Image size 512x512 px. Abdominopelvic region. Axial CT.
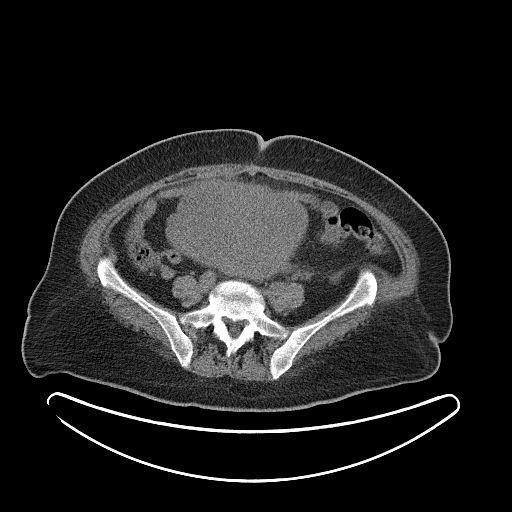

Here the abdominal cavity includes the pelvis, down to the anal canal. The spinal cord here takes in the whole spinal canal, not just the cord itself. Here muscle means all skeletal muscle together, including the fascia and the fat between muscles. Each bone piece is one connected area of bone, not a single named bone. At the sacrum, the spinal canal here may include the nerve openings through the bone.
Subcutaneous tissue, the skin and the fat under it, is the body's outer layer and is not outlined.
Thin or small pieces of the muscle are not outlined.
{"torso":[[[222,128],[249,130],[264,140],[303,136],[336,148],[390,178],[435,221],[449,249],[453,319],[439,345],[440,362],[432,376],[331,403],[258,412],[163,403],[64,372],[30,374],[21,351],[28,302],[45,271],[54,229],[69,199],[91,178],[153,143]]],"muscle":[[[251,162],[310,175],[333,183],[366,200],[392,217],[405,231],[419,258],[415,292],[384,307],[370,318],[367,324],[361,325],[326,352],[321,361],[298,375],[279,379],[293,365],[302,347],[321,328],[337,318],[374,303],[378,281],[370,269],[360,270],[364,264],[375,264],[394,277],[402,270],[400,257],[388,235],[376,219],[354,201],[327,190],[272,178],[258,171],[254,174],[243,172],[233,177],[192,178],[157,189],[136,202],[107,234],[109,242],[117,252],[115,264],[109,256],[100,256],[96,263],[96,275],[103,287],[131,300],[156,321],[179,365],[164,359],[141,343],[134,332],[121,324],[95,300],[78,260],[81,241],[94,217],[132,192],[183,168],[206,164]],[[181,325],[196,330],[211,327],[215,337],[225,345],[224,354],[227,358],[235,354],[243,345],[251,342],[255,333],[275,340],[283,340],[269,358],[268,368],[272,381],[245,381],[228,375],[210,378],[199,376],[185,369],[191,363],[194,349],[191,338]],[[279,281],[294,282],[295,283],[298,283],[300,284],[303,287],[303,294],[304,295],[304,300],[303,301],[303,303],[298,307],[286,313],[276,311],[274,309],[274,307],[269,302],[268,287],[271,284],[275,282],[278,282]],[[184,275],[189,275],[193,277],[195,279],[197,283],[199,284],[199,286],[203,291],[201,299],[194,304],[192,304],[188,306],[184,305],[183,303],[178,298],[175,297],[173,295],[172,291],[171,290],[174,280],[177,277],[179,276],[183,276]],[[342,300],[343,300],[334,309],[333,309],[330,312],[329,312],[320,319],[314,322],[299,326],[293,329],[291,331],[289,331],[289,329],[286,326],[293,326],[294,325],[300,324],[304,322],[306,320],[314,317],[319,313],[328,309],[330,307],[340,302]],[[134,288],[136,288],[138,290],[145,293],[147,295],[151,297],[156,302],[163,305],[165,307],[167,307],[169,309],[175,310],[178,312],[182,312],[183,313],[182,313],[178,317],[178,318],[177,318],[177,317],[171,312],[163,308],[161,308],[147,300]]],"spinal_cord":[[[226,318],[229,318],[233,323],[235,323],[238,321],[242,321],[244,323],[244,325],[240,329],[240,332],[239,333],[239,334],[236,337],[232,337],[230,335],[230,333],[229,332],[229,328],[228,327],[227,327],[225,325],[225,323],[224,322],[224,320]]],"bones":[{"outer":[[103,256],[177,319],[206,306],[226,280],[255,287],[265,314],[289,332],[334,310],[361,270],[374,274],[377,290],[371,305],[321,327],[273,380],[270,358],[284,340],[258,332],[227,357],[211,326],[181,324],[193,349],[183,368],[157,321],[101,284]],"hole":[[226,318],[229,318],[233,323],[235,323],[238,321],[242,321],[244,323],[244,325],[240,329],[240,332],[239,333],[239,334],[236,337],[232,337],[230,335],[230,333],[229,332],[229,328],[228,327],[227,327],[225,325],[225,323],[224,322],[224,320]]}],"abdominal_cavity":[{"outer":[[258,172],[327,191],[359,205],[391,241],[400,272],[394,276],[366,262],[343,299],[293,325],[267,315],[261,292],[239,279],[219,281],[209,291],[206,305],[185,312],[169,308],[132,286],[115,265],[118,252],[108,234],[136,203],[157,190],[192,179]],"hole":[[279,281],[294,282],[295,283],[298,283],[300,284],[303,287],[303,294],[304,295],[304,300],[303,301],[303,303],[298,307],[286,313],[276,311],[274,309],[274,307],[269,302],[268,287],[271,284],[275,282],[278,282]]}]}